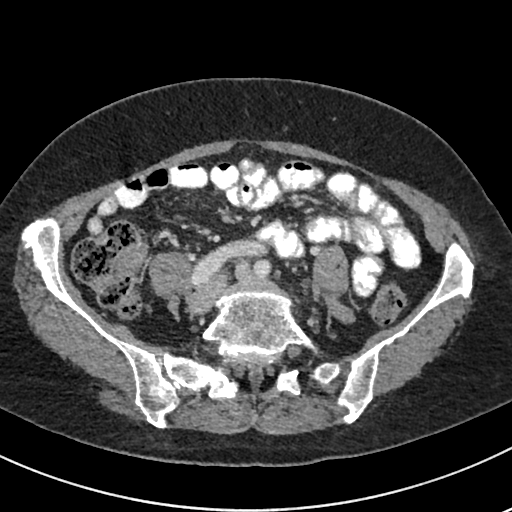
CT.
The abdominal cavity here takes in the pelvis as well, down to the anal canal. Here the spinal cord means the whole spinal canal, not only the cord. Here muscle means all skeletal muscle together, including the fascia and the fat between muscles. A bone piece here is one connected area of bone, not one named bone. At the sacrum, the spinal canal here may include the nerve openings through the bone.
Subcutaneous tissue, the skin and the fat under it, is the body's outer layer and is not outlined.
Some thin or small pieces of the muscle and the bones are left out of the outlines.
abdominal cavity: 236,144 348,167 383,185 421,221 441,258 437,283 400,321 376,330 357,349 314,340 297,322 291,298 262,290 221,294 217,313 200,335 175,344 143,340 126,325 106,320 65,268 65,246 86,216 134,177; inner edge: 333,244 336,244 342,248 349,264 348,289 339,298 339,300 345,306 352,310 355,318 354,321 352,322 341,322 334,317 330,316 328,313 327,300 314,287 312,282 312,264 314,259 323,249 327,246
bones 1: 50,216 60,227 61,280 82,309 120,340 210,363 241,389 237,397 214,399 205,389 182,387 176,391 177,407 165,415 167,426 150,424 135,403 135,380 125,355 46,288 31,250 23,248 22,230 36,218
bones 2: 244,291 278,293 291,299 293,302 291,312 296,322 319,348 314,352 305,345 292,345 272,356 258,352 232,353 222,356 218,353 218,348 214,342 201,341 202,332 218,313 219,310 215,305 218,298 221,295
bones 3: 453,240 465,250 474,265 470,295 466,298 456,295 442,302 429,310 404,335 383,347 374,379 373,397 355,421 345,424 342,418 348,411 337,403 337,398 344,387 352,359 399,331 425,305 440,279 445,252
bones 4: 323,361 335,361 336,362 338,362 340,364 340,367 341,368 339,374 334,379 333,379 328,384 326,385 321,385 319,384 316,381 314,380 312,380 312,371 311,370 312,368 316,364 320,362 322,362
bones 5: 297,368 299,369 298,371 298,383 300,386 300,389 301,390 301,392 298,395 294,395 287,391 283,391 281,392 280,389 278,388 275,384 271,383 275,379 278,374 283,373 284,372 287,372 288,371 292,371
spinal cord: 206,342 214,343 217,348 217,353 222,357 242,353 258,353 272,357 274,354 292,346 300,346 302,347 302,351 296,361 278,373 266,388 257,395 255,392 249,393 240,388 208,360 203,353 203,345
torso: 249,76 315,81 381,100 431,127 467,164 511,230 510,402 451,428 385,450 355,457 281,467 203,466 130,456 88,445 46,430 0,408 0,202 14,182 55,136 78,119 108,103 139,91 174,82 208,77
muscle 1: 435,286 428,300 406,324 351,359 336,398 336,403 347,411 341,418 344,424 283,435 264,435 254,429 229,435 166,428 166,415 178,407 177,391 182,388 193,392 205,390 214,400 236,399 242,390 255,402 260,393 273,384 281,393 298,396 302,392 300,369 282,371 300,358 303,346 314,353 320,348 315,341 340,350 357,350 376,331 400,322; inner edge: 323,361 335,361 336,362 338,362 340,364 340,367 341,368 339,374 334,379 333,379 328,384 326,385 321,385 319,384 316,381 314,380 312,380 312,371 311,370 312,368 316,364 320,362 322,362
muscle 2: 242,137 306,144 359,165 375,174 400,180 444,204 475,245 478,262 474,284 475,265 459,242 453,239 447,246 443,256 443,264 442,258 426,238 419,216 383,184 348,166 266,149 254,143 236,143 227,151 158,167 122,182 111,194 95,204 64,246 65,272 80,291 85,302 106,321 126,326 143,341 164,345 187,342 199,336 199,340 205,342 202,345 202,353 208,361 199,360 193,355 176,354 168,349 149,351 108,332 73,299 64,285 59,265 61,238 59,222 50,215 38,216 31,221 32,218 73,195 115,179 124,178 136,170 143,169 185,148
muscle 3: 20,233 22,248 30,250 32,265 39,272 45,288 85,319 124,355 134,380 134,403 149,424 136,425 99,404 87,390 87,376 80,369 64,361 32,332 27,324 26,316 19,306 17,293 12,286 15,249
muscle 4: 471,293 470,309 450,334 445,342 443,351 431,362 428,362 422,368 419,375 392,393 382,397 360,417 374,397 374,384 380,363 380,355 384,347 389,346 396,339 404,336 429,311 456,296 461,296 466,299
muscle 5: 333,244 336,244 342,248 349,264 348,289 339,298 339,300 345,306 352,310 355,318 354,321 352,322 341,322 334,317 330,316 328,313 327,300 314,287 312,282 312,264 314,259 323,249 327,246
muscle 6: 168,251 175,251 185,254 187,260 193,266 193,269 191,272 190,292 187,294 182,294 177,297 180,302 179,306 180,316 176,320 167,307 168,301 154,293 150,285 150,277 148,273 148,265 152,256 159,252